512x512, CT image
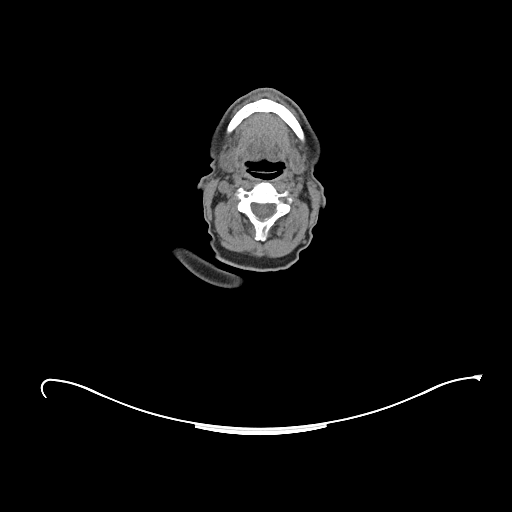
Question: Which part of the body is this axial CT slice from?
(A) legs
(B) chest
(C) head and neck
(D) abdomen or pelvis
Answer: (C) head and neck
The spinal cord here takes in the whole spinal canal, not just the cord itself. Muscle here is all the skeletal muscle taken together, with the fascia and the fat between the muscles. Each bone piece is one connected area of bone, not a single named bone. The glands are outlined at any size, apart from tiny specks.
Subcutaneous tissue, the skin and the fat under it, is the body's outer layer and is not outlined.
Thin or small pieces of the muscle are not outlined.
Outlined structures:
muscle 1: 256,112 274,113 292,130 301,142 304,142 306,137 311,154 307,172 319,192 317,213 306,230 304,241 291,253 279,258 258,258 224,248 218,241 206,204 206,185 218,169 218,156 225,131 230,134 244,119, around a hole outlined by 259,161 283,164 281,172 267,180 279,193 287,190 292,199 289,211 274,222 263,241 255,239 255,228 248,217 238,210 238,200 235,196 235,192 239,187 250,190 255,184 264,179 252,176 246,171 247,162
muscle 2: 264,92 272,93 278,96 291,106 298,114 301,121 301,125 294,114 284,104 268,97 260,97 245,103 235,112 230,119 229,118 230,117 230,115 234,108 237,105 253,95 255,95 259,93 263,93
bones 1: 262,180 267,180 270,182 279,193 287,190 292,199 289,211 279,217 274,222 270,227 265,240 263,241 255,239 255,228 248,217 238,210 238,200 235,196 235,192 239,187 242,187 245,190 250,190 255,184 with a hole at 252,203 257,203 258,204 274,204 275,205 275,211 271,215 270,215 269,216 268,216 267,217 266,217 265,218 264,218 263,219 260,219 252,211 252,209 251,208 251,204
bones 2: 260,98 268,98 284,105 293,114 300,124 304,132 305,140 301,141 293,130 276,113 270,111 268,112 265,111 256,111 253,112 247,117 244,118 230,133 227,133 226,132 226,127 229,121 236,112 245,104
submandibular glands 1: 230,148 237,148 237,149 239,151 239,158 238,159 238,164 237,166 233,169 229,169 228,170 225,170 223,169 220,165 220,159 221,158 221,156 222,154 224,152 225,152 226,150 228,150
submandibular glands 2: 293,150 297,150 297,151 298,152 299,152 299,153 302,156 303,156 303,157 305,160 305,169 301,173 296,173 295,172 294,172 291,169 291,168 290,167 290,164 289,163 289,156 290,155 290,153
head and neck 1: 259,87 272,87 290,97 303,111 321,145 314,175 324,188 325,207 312,229 311,242 300,252 298,260 286,269 275,271 240,268 214,256 202,215 202,193 197,188 200,178 211,170 208,146 222,115 237,98, around a hole outlined by 259,161 266,161 267,162 280,162 282,164 283,164 283,168 281,170 281,172 278,175 277,175 275,177 273,177 269,179 264,179 260,177 252,176 246,171 246,167 247,166 246,165 246,163 247,162 258,162
head and neck 2: 173,245 184,246 192,250 203,258 208,260 218,267 243,277 246,280 244,285 239,288 228,289 227,288 218,287 203,281 191,273 181,263 180,263 179,261 170,254 168,251 168,249
spinal cord: 252,203 257,203 258,204 274,204 275,205 275,211 271,215 270,215 269,216 268,216 267,217 266,217 265,218 264,218 263,219 260,219 252,211 252,209 251,208 251,204